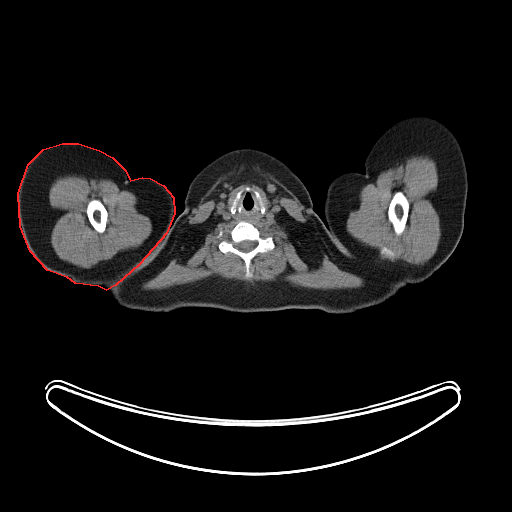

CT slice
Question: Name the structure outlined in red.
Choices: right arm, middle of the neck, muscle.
Answer: red: right arm.
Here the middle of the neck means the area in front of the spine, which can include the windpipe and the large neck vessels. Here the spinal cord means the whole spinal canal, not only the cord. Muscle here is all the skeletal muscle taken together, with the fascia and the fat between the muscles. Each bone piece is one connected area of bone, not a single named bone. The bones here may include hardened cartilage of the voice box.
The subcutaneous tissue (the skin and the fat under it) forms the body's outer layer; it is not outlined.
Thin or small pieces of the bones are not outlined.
The right arm is outlined by 62,143 78,143 99,150 112,157 124,169 130,180 142,177 150,178 163,185 173,197 174,213 166,233 139,264 115,285 106,290 98,286 75,283 67,277 47,270 30,251 20,226 18,193 28,164 43,149. The bones appear in 6 outlined pieces: piece 1: 239,221 251,223 264,236 271,236 274,242 273,249 258,252 252,258 250,263 252,275 250,277 245,275 245,264 242,258 232,252 222,252 218,247 222,239 216,237 221,229 223,231 222,237 227,238 230,231; inner edge: 245,240 248,240 249,241 256,241 257,242 257,244 256,246 253,249 247,252 245,252 244,251 241,251 239,249 236,248 234,246 234,244 236,243 238,243 239,242 241,242 242,241 244,241; piece 2: 397,191 401,191 404,194 409,203 409,209 408,210 408,213 407,214 406,225 403,232 398,236 397,236 395,234 393,230 392,224 389,221 388,219 388,215 387,214 388,212 389,204 393,197 394,193; piece 3: 92,199 98,199 100,200 100,201 103,204 107,211 107,222 106,223 106,227 105,228 105,230 102,233 99,233 94,229 94,228 90,223 88,219 88,217 87,216 87,213 86,212 87,204 88,202; piece 4: 383,246 384,246 385,247 386,247 388,249 391,250 394,253 394,255 395,256 394,257 394,259 393,259 392,260 391,259 390,259 387,257 382,257 380,255 380,254 379,253 379,250 380,249 380,248; piece 5: 254,190 257,191 259,193 266,207 265,212 263,214 262,214 261,212 261,210 260,209 261,208 260,207 260,204 259,203 259,201 257,199 257,198 254,194 254,192 253,191; piece 6: 240,190 242,190 241,195 240,196 240,197 237,200 237,202 236,203 236,205 235,206 235,211 234,212 234,213 232,213 230,211 231,204 234,200 234,199 235,198 235,196 236,195 237,192 238,192. The head and neck is outlined by 239,148 261,150 286,164 306,187 317,220 318,246 315,262 310,273 292,296 281,306 268,312 237,313 215,309 209,306 199,299 188,286 178,262 177,217 184,208 184,200 190,182 198,172 211,161 226,152. The spinal cord is outlined by 245,240 248,240 249,241 256,241 257,242 257,244 256,246 253,249 247,252 245,252 244,251 241,251 239,249 236,248 234,246 234,244 236,243 238,243 239,242 241,242 242,241 244,241. The left arm is outlined by 413,115 433,117 442,122 453,133 463,153 468,185 463,232 454,251 427,279 420,283 407,285 387,278 362,262 346,256 340,250 324,221 323,207 330,182 345,172 363,174 365,172 365,158 380,135 395,122. The middle of the neck is outlined by 244,188 247,191 249,191 251,188 253,190 252,191 258,201 261,214 263,215 266,210 270,208 274,214 274,218 258,221 223,219 220,216 219,212 226,205 230,204 229,211 234,214 238,200 243,192 242,189. The torso appears in 2 outlined pieces: piece 1: 316,213 324,222 339,250 346,257 362,263 387,279 406,285 406,286 383,303 370,306 359,311 347,314 333,314 319,309 285,309 273,311 281,307 296,293 308,278 316,262 317,251 319,246 319,226; piece 2: 174,218 176,218 177,262 183,280 191,290 192,293 199,300 212,308 186,307 185,308 179,308 169,312 156,313 155,312 148,312 135,309 129,309 118,305 107,290 115,286 147,257 154,249 156,245 167,233. The muscle appears in 3 outlined pieces: piece 1: 243,162 260,165 274,174 297,196 306,209 311,224 323,237 334,257 348,269 367,279 362,287 322,290 294,286 279,278 271,282 248,284 214,275 160,290 140,289 138,283 169,252 192,208 212,180 234,164 with a hole at 246,187 257,191 266,208 274,214 271,219 249,222 274,242 273,249 258,252 252,258 250,277 245,275 242,258 232,252 222,252 218,247 222,239 216,237 221,229 222,237 227,238 239,221 225,220 219,212; piece 2: 420,154 434,157 438,169 438,185 435,192 435,205 440,219 441,233 438,247 434,255 423,265 413,265 402,260 387,262 374,254 369,247 360,244 345,231 345,217 352,207 359,190 379,171 395,165 412,155, around holes outlined by 397,191 401,191 404,194 409,203 409,209 408,210 408,213 407,214 406,225 403,232 398,236 397,236 395,234 393,230 392,224 389,221 388,219 388,215 387,214 388,212 389,204 393,197 394,193 and by 383,246 384,246 385,247 386,247 388,249 391,250 394,253 394,255 395,256 394,257 394,259 393,259 392,260 391,259 390,259 387,257 382,257 380,255 380,254 379,253 379,250 380,249 380,248; piece 3: 70,173 86,173 109,178 124,189 134,193 138,198 141,210 153,223 153,231 150,236 140,246 121,251 112,258 90,268 81,268 61,261 49,246 49,235 53,226 53,214 49,204 48,190 49,184 54,178 with a hole at 92,199 98,199 100,200 100,201 103,204 107,211 107,222 106,223 106,227 105,228 105,230 102,233 99,233 94,229 94,228 90,223 88,219 88,217 87,216 87,213 86,212 87,204 88,202.